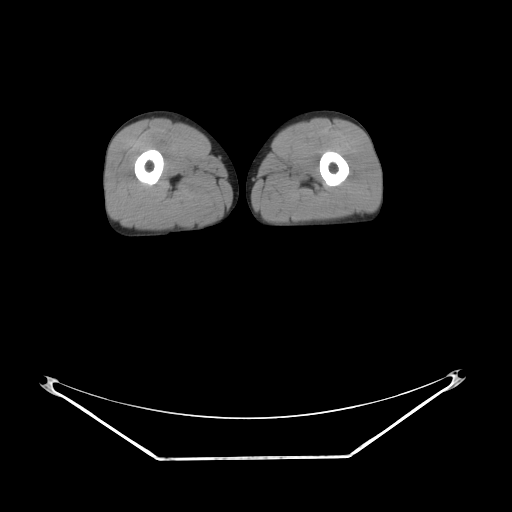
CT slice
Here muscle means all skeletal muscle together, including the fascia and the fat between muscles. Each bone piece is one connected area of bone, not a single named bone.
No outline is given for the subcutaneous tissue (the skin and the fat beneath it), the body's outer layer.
Outlined structures:
left leg: [[315,109],[331,109],[346,113],[357,119],[369,133],[380,160],[383,171],[383,203],[379,215],[370,223],[354,226],[292,227],[267,226],[260,224],[253,217],[247,206],[245,199],[245,182],[250,164],[257,151],[269,135],[280,124],[298,113]]
bones 1: [[148,148],[154,148],[158,150],[161,153],[163,157],[163,159],[164,160],[164,166],[163,167],[163,170],[162,171],[162,173],[158,181],[153,185],[147,185],[146,184],[144,184],[140,182],[137,179],[134,173],[134,162],[136,158],[143,151],[146,150]]
bones 2: [[325,151],[336,151],[338,152],[346,160],[349,166],[349,174],[347,176],[345,180],[337,186],[329,186],[327,185],[325,183],[324,180],[322,178],[320,174],[320,172],[319,171],[319,160],[320,159],[320,157],[321,155]]
muscle 1: [[151,116],[163,116],[167,118],[177,119],[196,128],[204,134],[218,150],[230,177],[231,187],[233,192],[233,199],[229,210],[215,222],[183,228],[141,231],[122,228],[109,216],[105,191],[106,149],[113,141],[116,135],[124,127],[138,120],[149,118]], around a hole outlined by [[148,148],[154,148],[158,150],[161,153],[163,157],[163,159],[164,160],[164,166],[163,167],[163,170],[162,171],[162,173],[158,181],[153,185],[147,185],[146,184],[144,184],[140,182],[137,179],[134,173],[134,162],[136,158],[143,151],[146,150]]
muscle 2: [[320,116],[322,117],[337,117],[350,121],[357,125],[364,132],[370,141],[377,157],[381,176],[380,199],[377,209],[371,215],[328,221],[271,223],[263,220],[257,213],[254,212],[251,204],[252,180],[254,177],[261,153],[274,137],[288,125],[308,118]] with a hole at [[325,151],[336,151],[338,152],[346,160],[349,166],[349,174],[347,176],[345,180],[337,186],[329,186],[327,185],[325,183],[324,180],[322,178],[320,174],[320,172],[319,171],[319,160],[320,159],[320,157],[321,155]]
right leg: [[151,110],[171,110],[191,118],[205,128],[220,143],[228,154],[236,171],[239,184],[239,198],[237,205],[224,221],[200,230],[174,232],[165,236],[132,238],[122,237],[109,225],[104,209],[102,188],[102,171],[106,146],[112,134],[122,123],[137,114]]